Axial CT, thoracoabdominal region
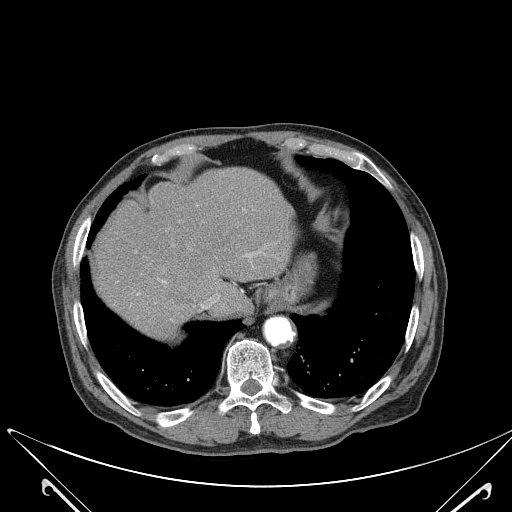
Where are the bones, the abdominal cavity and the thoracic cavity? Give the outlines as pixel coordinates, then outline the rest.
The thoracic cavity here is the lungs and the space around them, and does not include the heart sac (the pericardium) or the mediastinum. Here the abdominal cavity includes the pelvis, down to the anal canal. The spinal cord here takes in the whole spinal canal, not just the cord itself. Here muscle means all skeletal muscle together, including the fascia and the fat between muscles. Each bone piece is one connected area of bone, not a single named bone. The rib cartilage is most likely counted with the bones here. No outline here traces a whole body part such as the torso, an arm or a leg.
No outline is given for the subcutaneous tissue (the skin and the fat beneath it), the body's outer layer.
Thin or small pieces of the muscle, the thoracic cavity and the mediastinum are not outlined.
{"bones":[{"outer":[[243,338],[267,347],[273,364],[284,369],[279,374],[286,386],[277,389],[292,400],[287,413],[270,404],[260,404],[255,410],[260,426],[258,434],[249,432],[251,411],[246,406],[236,405],[222,415],[217,413],[218,404],[229,392],[224,377],[230,343]],"hole":[[249,379],[252,379],[253,380],[255,380],[259,384],[259,385],[260,386],[260,388],[259,389],[259,390],[256,393],[255,393],[252,395],[249,395],[248,394],[247,394],[245,392],[244,392],[241,389],[241,387],[242,386],[242,385],[247,380],[248,380]]},[[291,137],[300,137],[305,139],[309,143],[320,143],[349,151],[359,151],[367,156],[377,166],[390,182],[393,188],[389,191],[369,173],[353,168],[339,159],[333,157],[314,156],[311,154],[307,154],[304,148],[293,150],[286,146],[282,146],[283,142]],[[94,369],[98,369],[104,373],[125,395],[126,395],[130,399],[135,401],[136,402],[135,403],[135,406],[140,409],[142,412],[142,416],[137,416],[136,415],[134,415],[132,413],[126,410],[119,404],[118,404],[101,386],[94,374],[94,372],[93,371]],[[183,143],[190,143],[191,144],[194,144],[199,147],[200,148],[200,150],[197,151],[196,153],[191,155],[181,155],[180,156],[173,157],[165,163],[157,166],[154,166],[150,163],[150,158],[155,153],[162,153],[170,147],[172,147],[177,144],[182,144]],[[88,215],[90,215],[92,217],[92,222],[87,235],[87,238],[85,243],[84,253],[80,261],[79,266],[76,268],[74,268],[73,267],[73,261],[72,260],[73,259],[73,246],[74,245],[75,237],[76,236],[79,226],[81,224],[82,221]],[[387,374],[390,374],[393,377],[387,388],[371,403],[370,403],[362,409],[358,411],[356,411],[355,412],[351,411],[350,410],[350,408],[354,404],[360,401],[360,399],[364,394],[364,393],[369,388],[370,388],[375,383],[376,383],[382,377],[383,377]],[[189,406],[190,406],[190,407],[192,409],[193,409],[195,411],[195,412],[193,414],[189,416],[186,419],[174,425],[168,426],[167,427],[162,427],[157,424],[153,419],[153,416],[154,414],[159,411],[169,411],[170,410],[179,409],[183,407],[188,407]],[[290,388],[293,388],[310,397],[312,397],[316,399],[319,399],[326,402],[330,402],[334,405],[336,405],[337,406],[336,407],[335,412],[332,414],[325,414],[324,413],[321,413],[320,412],[301,406],[298,402],[298,399],[294,396],[290,391],[289,389]],[[75,298],[78,298],[80,300],[80,302],[82,306],[82,309],[83,310],[83,316],[85,321],[85,326],[87,330],[87,337],[89,341],[89,344],[87,349],[84,347],[80,340],[78,332],[76,329],[75,322],[73,319],[73,301]],[[412,230],[418,236],[421,243],[422,251],[423,252],[423,274],[422,275],[422,278],[421,280],[419,280],[416,275],[415,269],[414,268],[414,264],[413,263],[413,256],[412,255],[412,249],[411,248],[411,242],[410,241],[410,234],[409,233],[409,232]],[[414,303],[417,304],[419,308],[419,315],[417,321],[417,326],[415,330],[415,333],[411,345],[407,352],[404,352],[403,344],[405,338],[405,333],[406,332],[406,329],[409,320],[409,316],[410,315],[411,308],[412,305]]],"abdominal_cavity":[[[243,138],[299,153],[295,160],[325,193],[331,204],[331,224],[346,230],[339,299],[323,316],[274,310],[260,311],[247,324],[240,319],[190,321],[183,327],[188,336],[171,349],[130,327],[96,295],[85,250],[122,197],[144,181],[146,172],[174,158]]],"thoracic_cavity":[[[300,154],[333,158],[369,174],[391,194],[409,234],[415,279],[403,343],[385,374],[352,402],[334,404],[310,396],[287,386],[280,374],[298,348],[298,330],[290,314],[323,317],[336,308],[350,227],[345,184],[330,172],[304,167],[295,158]],[[84,256],[87,259],[93,291],[102,303],[130,328],[171,350],[178,348],[189,336],[184,327],[190,322],[242,322],[244,327],[226,341],[230,348],[223,382],[211,399],[200,405],[159,410],[130,398],[110,379],[100,365],[88,337],[80,299],[80,264]],[[143,172],[146,174],[143,181],[133,189],[130,189],[121,197],[113,209],[109,212],[107,217],[105,218],[105,220],[103,222],[101,227],[99,228],[95,234],[90,246],[86,249],[86,243],[93,220],[105,200],[122,184],[130,179],[134,178],[138,174]]],"muscle":[[[279,130],[302,132],[340,142],[358,150],[349,150],[320,142],[309,142],[300,136],[286,138],[281,146],[293,151],[304,149],[305,152],[296,152],[283,147],[270,145],[251,137],[233,139],[201,150],[201,148],[194,143],[177,143],[162,152],[155,152],[149,158],[149,163],[152,166],[144,169],[118,186],[104,200],[93,219],[93,217],[88,214],[77,228],[72,246],[71,260],[74,269],[79,267],[80,289],[79,298],[75,297],[72,301],[72,319],[81,344],[86,350],[90,345],[104,372],[98,368],[94,368],[92,371],[104,391],[118,405],[134,416],[143,416],[141,409],[136,406],[137,402],[157,409],[158,411],[152,416],[153,421],[160,427],[167,428],[193,415],[196,411],[191,406],[200,406],[211,400],[220,391],[224,378],[228,392],[217,404],[216,413],[222,416],[236,406],[244,406],[250,411],[248,432],[253,435],[239,438],[230,443],[200,445],[167,438],[107,407],[85,388],[77,373],[68,341],[62,301],[63,259],[68,237],[85,205],[114,176],[148,149],[185,136],[243,134],[255,131]],[[378,166],[401,188],[431,245],[438,297],[431,356],[405,393],[336,435],[302,440],[259,434],[256,410],[260,405],[270,405],[283,414],[293,407],[292,398],[278,389],[282,387],[291,386],[288,389],[301,407],[321,414],[332,415],[337,405],[359,400],[349,410],[362,410],[390,385],[394,377],[386,373],[402,346],[407,353],[412,345],[420,315],[418,304],[413,303],[415,280],[423,278],[424,252],[390,192],[393,185]]],"spinal_cord":[[[249,379],[252,379],[253,380],[255,380],[259,384],[259,385],[260,386],[260,388],[259,389],[259,390],[256,393],[255,393],[252,395],[249,395],[248,394],[247,394],[245,392],[244,392],[241,389],[241,387],[242,386],[242,385],[247,380],[248,380]]],"mediastinum":[[[274,311],[280,311],[289,314],[289,317],[294,323],[297,330],[297,348],[291,354],[284,367],[282,365],[274,364],[268,347],[262,342],[254,338],[243,337],[231,342],[227,341],[237,332],[242,330],[245,327],[245,324],[246,325],[250,324],[260,312]],[[307,168],[309,168],[312,171],[314,170],[322,173],[330,173],[335,179],[341,181],[344,184],[346,188],[346,194],[349,205],[349,227],[347,229],[345,228],[336,229],[332,224],[331,222],[332,204],[328,200],[326,193],[312,183],[311,177],[305,171]]]}